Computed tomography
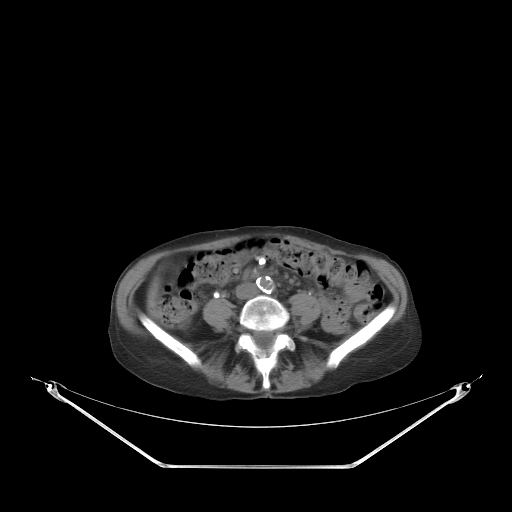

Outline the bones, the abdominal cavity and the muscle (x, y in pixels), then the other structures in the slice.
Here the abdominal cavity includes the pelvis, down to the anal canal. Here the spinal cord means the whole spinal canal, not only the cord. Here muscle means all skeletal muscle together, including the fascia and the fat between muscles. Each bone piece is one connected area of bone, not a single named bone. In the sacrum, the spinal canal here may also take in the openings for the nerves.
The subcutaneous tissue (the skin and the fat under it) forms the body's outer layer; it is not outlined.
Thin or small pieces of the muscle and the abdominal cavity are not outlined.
The bones appear in 3 outlined pieces: piece 1: 260,294 275,298 286,308 289,320 283,331 295,342 294,350 284,348 278,353 277,364 269,373 270,387 267,389 262,386 262,375 256,369 251,355 245,349 235,350 236,342 242,332 239,324 240,311 247,300, around a hole outlined by 254,331 257,331 258,332 260,331 265,331 266,332 272,332 274,334 274,338 270,346 266,349 261,348 259,346 258,346 256,344 255,341 253,339 253,336 252,335 252,333; piece 2: 390,303 392,303 396,308 395,312 392,317 365,343 360,345 358,347 349,352 341,360 337,367 335,368 329,368 327,367 326,365 326,361 327,360 328,355 330,352 334,348 342,343 356,331 369,322 388,304; piece 3: 139,312 142,312 144,313 150,319 155,322 165,331 193,351 200,359 201,361 201,365 199,367 192,367 190,366 177,354 166,347 161,342 156,339 140,322 138,318 138,314. The abdominal cavity is outlined by 256,235 364,261 391,300 352,334 331,343 302,333 321,313 320,300 304,290 288,298 289,312 275,297 257,294 243,303 238,319 228,299 211,298 201,315 220,337 192,342 174,336 135,301 157,262. The muscle appears in 2 outlined pieces: piece 1: 301,291 315,296 320,304 318,317 303,335 325,344 348,336 327,355 325,365 334,369 323,379 293,391 247,393 212,385 190,367 199,368 202,361 175,337 192,343 219,339 222,333 205,321 202,311 211,299 225,299 233,304 241,327 234,350 250,355 261,375 262,388 269,389 270,373 278,364 279,353 296,349 295,340 284,329 293,323 288,300; piece 2: 254,232 278,232 294,235 336,249 365,253 384,259 399,272 405,284 407,304 404,314 395,326 340,364 349,353 365,344 393,317 397,308 391,302 393,297 390,290 364,260 312,248 279,236 256,234 242,238 229,245 182,250 158,260 135,291 134,301 141,310 137,314 139,322 164,346 128,332 120,324 116,313 116,295 122,279 140,259 165,249. The torso is outlined by 249,224 308,227 340,239 370,246 385,252 394,259 408,278 422,325 422,345 413,361 392,374 356,384 333,395 226,401 174,393 151,385 122,368 112,355 107,327 112,290 126,265 144,250 171,238 195,231. The spinal cord is outlined by 254,331 257,331 258,332 260,331 265,331 266,332 272,332 274,334 274,338 270,346 266,349 261,348 259,346 258,346 256,344 255,341 253,339 253,336 252,335 252,333.